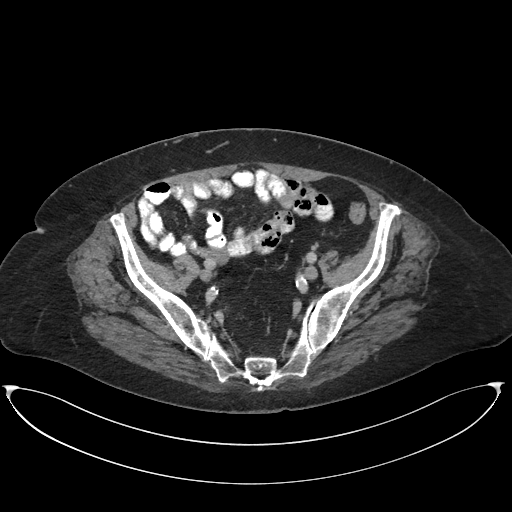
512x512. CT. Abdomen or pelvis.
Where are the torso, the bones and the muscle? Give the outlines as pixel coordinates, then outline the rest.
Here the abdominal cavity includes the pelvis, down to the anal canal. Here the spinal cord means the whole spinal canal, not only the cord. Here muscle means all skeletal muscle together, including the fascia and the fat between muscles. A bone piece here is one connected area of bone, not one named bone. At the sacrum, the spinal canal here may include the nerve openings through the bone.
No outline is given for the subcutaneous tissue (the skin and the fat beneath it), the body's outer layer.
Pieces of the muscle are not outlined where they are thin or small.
{"torso":[[[238,127],[294,130],[349,143],[410,167],[451,195],[511,252],[511,336],[496,346],[452,356],[357,396],[274,413],[212,412],[163,403],[61,363],[5,348],[0,342],[0,263],[19,237],[36,227],[34,216],[53,190],[85,168],[134,148],[185,133]]],"bones":[{"outer":[[380,202],[402,210],[392,220],[380,272],[356,296],[306,374],[281,377],[262,391],[241,376],[220,382],[210,362],[184,344],[130,279],[108,220],[124,214],[145,272],[209,319],[239,369],[248,355],[274,356],[280,367],[293,352],[311,301],[366,266]],"hole":[[264,370],[265,370],[266,371],[267,371],[268,372],[268,374],[267,375],[266,375],[264,377],[263,377],[262,378],[259,378],[258,377],[257,377],[256,376],[255,376],[254,375],[253,375],[252,374],[252,373],[253,372],[254,372],[255,371],[263,371]]}],"muscle":[[[249,160],[356,178],[377,187],[424,222],[439,248],[416,323],[363,363],[329,381],[307,389],[264,390],[284,377],[303,378],[314,358],[335,338],[357,296],[381,272],[393,220],[403,210],[391,202],[378,203],[373,246],[365,266],[351,280],[329,288],[318,260],[330,250],[340,260],[355,255],[374,225],[364,191],[339,177],[306,180],[260,165],[242,165],[221,176],[193,180],[162,179],[151,181],[149,183],[145,184],[135,198],[133,233],[145,254],[171,266],[175,258],[187,254],[197,262],[199,271],[184,295],[161,286],[146,272],[122,211],[107,220],[129,279],[183,344],[209,362],[220,383],[241,377],[255,385],[255,391],[204,390],[99,344],[81,321],[84,311],[66,271],[68,255],[105,213],[141,184],[150,180],[188,170]],[[228,346],[232,346],[232,347],[233,348],[233,349],[235,352],[235,354],[236,355],[236,359],[237,360],[237,361],[236,362],[236,363],[234,363],[231,360],[231,359],[229,357],[229,356],[225,352],[225,350],[226,350],[227,349],[227,348],[228,347]]],"spinal_cord":[[[264,370],[265,370],[266,371],[267,371],[268,372],[268,374],[267,375],[266,375],[264,377],[263,377],[262,378],[259,378],[258,377],[257,377],[256,376],[255,376],[254,375],[253,375],[252,374],[252,373],[253,372],[254,372],[255,371],[263,371]]],"abdominal_cavity":[[[242,166],[306,181],[339,178],[370,205],[363,247],[342,259],[330,249],[317,260],[329,289],[305,308],[280,366],[274,355],[248,354],[239,368],[233,346],[226,349],[210,319],[180,296],[200,271],[196,259],[153,260],[134,233],[146,184],[221,177]]]}